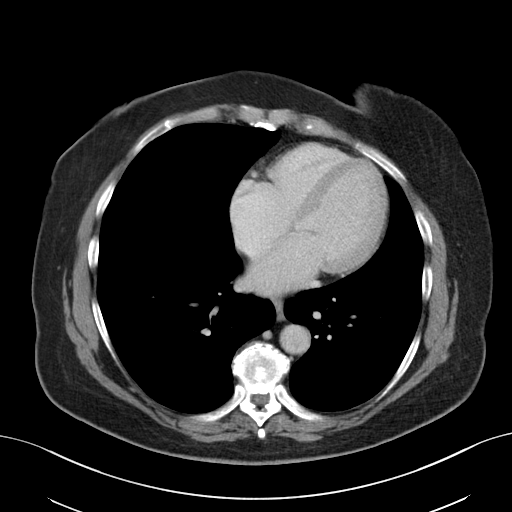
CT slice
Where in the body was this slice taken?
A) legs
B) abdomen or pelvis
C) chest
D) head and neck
Answer: C) chest
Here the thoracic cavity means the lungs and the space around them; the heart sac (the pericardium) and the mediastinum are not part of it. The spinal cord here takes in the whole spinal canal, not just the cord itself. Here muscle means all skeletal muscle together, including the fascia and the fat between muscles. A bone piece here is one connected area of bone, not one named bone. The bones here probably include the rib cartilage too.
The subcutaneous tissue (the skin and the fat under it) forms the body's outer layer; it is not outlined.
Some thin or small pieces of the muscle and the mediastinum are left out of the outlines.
Outlined structures:
spinal cord: [[254,394],[267,394],[268,395],[268,400],[267,401],[267,402],[265,404],[264,404],[262,406],[260,406],[259,407],[258,406],[257,406],[253,402],[252,402],[252,401],[251,400],[251,397],[252,396],[252,395],[253,395]]
muscle 1: [[216,103],[241,103],[235,108],[235,115],[243,122],[212,121],[221,117],[221,111],[215,106],[209,106],[183,115],[166,117],[137,142],[131,151],[133,158],[119,180],[117,182],[113,178],[97,200],[94,214],[96,218],[101,218],[99,233],[91,236],[86,251],[89,268],[97,269],[96,296],[91,298],[90,303],[99,335],[112,359],[118,365],[118,357],[139,387],[156,402],[177,412],[193,414],[189,416],[192,420],[213,422],[238,407],[256,423],[258,427],[256,435],[260,439],[250,437],[233,441],[203,442],[161,425],[139,408],[114,395],[86,370],[65,330],[62,278],[65,269],[69,275],[73,267],[76,234],[85,208],[101,182],[124,157],[137,138],[170,114]]
muscle 2: [[407,178],[441,228],[446,244],[446,274],[450,280],[457,281],[455,333],[448,358],[359,425],[314,441],[285,436],[263,440],[266,436],[264,423],[283,408],[301,419],[322,421],[326,417],[318,412],[348,410],[380,391],[376,398],[380,400],[410,366],[422,337],[416,332],[422,301],[429,299],[432,290],[433,271],[432,266],[424,262],[424,245],[430,247],[433,240],[423,211],[417,206],[412,208],[400,185],[406,184]]
muscle 3: [[288,108],[295,109],[304,113],[309,113],[310,114],[317,115],[337,127],[345,130],[352,136],[359,138],[363,141],[357,140],[351,145],[349,145],[347,143],[340,140],[343,138],[331,126],[320,119],[314,117],[302,117],[300,118],[294,111]]
muscle 4: [[370,145],[371,145],[372,146],[373,146],[374,147],[379,149],[383,153],[384,153],[389,158],[390,158],[394,162],[394,163],[395,164],[394,164],[387,157],[386,157],[383,154],[382,154],[379,151],[378,151],[375,148],[374,148],[372,146],[371,146]]
torso: [[236,69],[287,76],[350,103],[359,81],[386,85],[425,103],[457,135],[483,190],[494,247],[494,279],[479,381],[469,397],[445,415],[353,453],[295,463],[237,465],[142,448],[71,416],[46,396],[34,361],[31,274],[54,164],[111,107],[148,92]]
pericardium: [[304,139],[321,139],[341,144],[369,158],[377,165],[383,175],[389,198],[387,229],[378,249],[355,271],[315,287],[303,289],[283,297],[272,298],[254,290],[244,274],[244,263],[236,251],[230,223],[230,200],[241,178],[258,162],[276,148],[290,142]]
mediastinum 1: [[243,263],[243,274],[257,293],[272,299],[295,294],[284,302],[283,313],[291,322],[306,326],[311,340],[308,349],[291,364],[290,358],[269,342],[256,340],[237,352],[243,344],[271,328],[276,318],[276,310],[270,299],[244,292],[237,278],[243,271]]
mediastinum 2: [[280,126],[295,128],[298,132],[307,135],[323,136],[328,138],[337,139],[351,146],[353,149],[341,143],[321,138],[320,139],[319,138],[298,139],[284,143],[276,147],[275,149],[268,153],[247,171],[269,148],[277,142],[281,134],[281,132],[278,129]]
bones 1: [[256,341],[272,344],[289,358],[290,367],[282,379],[283,384],[296,401],[324,419],[304,419],[283,407],[263,423],[265,436],[261,439],[257,435],[257,423],[238,406],[213,421],[190,417],[214,410],[232,396],[238,380],[232,373],[232,360],[236,353]] with a hole at [[254,394],[267,394],[268,395],[268,400],[267,401],[267,402],[265,404],[264,404],[262,406],[260,406],[259,407],[258,406],[257,406],[253,402],[252,402],[252,401],[251,400],[251,397],[252,396],[252,395],[253,395]]
bones 2: [[240,104],[247,104],[261,108],[266,112],[273,109],[287,108],[294,112],[300,119],[314,118],[320,120],[331,127],[342,138],[339,139],[323,135],[303,133],[298,131],[294,123],[280,125],[275,130],[252,126],[238,119],[236,115],[236,108]]
bones 3: [[209,107],[215,107],[220,111],[220,117],[219,118],[211,121],[193,121],[192,122],[188,122],[187,123],[183,123],[177,125],[147,143],[133,156],[132,151],[138,142],[150,130],[158,124],[161,123],[166,118],[173,118],[177,116],[183,116],[192,112]]
bones 4: [[357,141],[360,141],[369,145],[382,155],[383,155],[386,158],[387,158],[394,165],[395,165],[404,175],[404,176],[406,178],[406,183],[404,184],[399,183],[373,160],[372,160],[369,157],[360,153],[357,150],[354,149],[352,147],[352,145]]
bones 5: [[416,333],[420,333],[421,334],[421,337],[420,338],[420,341],[419,342],[417,350],[409,366],[402,375],[402,376],[394,385],[394,386],[384,396],[383,396],[380,399],[377,400],[378,396],[382,390],[386,386],[386,385],[391,380],[395,372],[400,365]]
bones 6: [[93,297],[96,297],[97,299],[97,301],[100,308],[100,311],[103,318],[103,321],[105,324],[105,327],[107,330],[112,346],[117,355],[118,364],[113,359],[109,351],[107,349],[97,327],[97,325],[93,315],[92,304],[91,303],[92,302],[92,298]]
bones 7: [[414,207],[417,207],[422,211],[424,216],[426,218],[429,224],[429,226],[431,230],[431,239],[432,240],[432,244],[430,246],[426,245],[423,243],[423,241],[420,234],[420,231],[419,230],[419,228],[414,215],[414,212],[413,211],[413,208]]
bones 8: [[113,179],[115,179],[116,180],[116,184],[113,190],[113,192],[111,195],[110,200],[102,216],[101,217],[96,217],[96,215],[95,213],[96,212],[96,207],[97,206],[97,203],[98,202],[98,200],[102,192],[104,190],[104,189]]
bones 9: [[95,234],[98,235],[99,237],[99,251],[98,252],[98,262],[97,263],[97,267],[96,268],[93,268],[92,269],[90,268],[89,266],[89,264],[88,263],[88,257],[87,256],[87,251],[88,250],[88,245],[89,244],[89,241],[92,237],[92,236]]
bones 10: [[424,263],[428,263],[431,266],[431,270],[432,271],[432,283],[431,284],[431,290],[430,291],[430,294],[429,295],[429,297],[428,298],[428,299],[426,301],[423,301],[422,300],[422,273],[423,272],[423,266],[424,265]]
thoracic cavity 1: [[193,122],[235,123],[277,129],[280,134],[240,178],[228,206],[242,262],[237,281],[244,293],[270,300],[275,318],[234,354],[230,368],[237,380],[231,396],[214,409],[187,413],[150,397],[123,365],[97,298],[97,268],[102,217],[126,168],[147,144]]
thoracic cavity 2: [[386,174],[401,187],[412,209],[423,244],[419,320],[399,365],[381,390],[348,409],[316,411],[296,400],[283,382],[291,365],[309,349],[312,340],[306,325],[286,317],[284,305],[300,291],[330,284],[355,272],[379,249],[390,220],[390,198],[384,180]]